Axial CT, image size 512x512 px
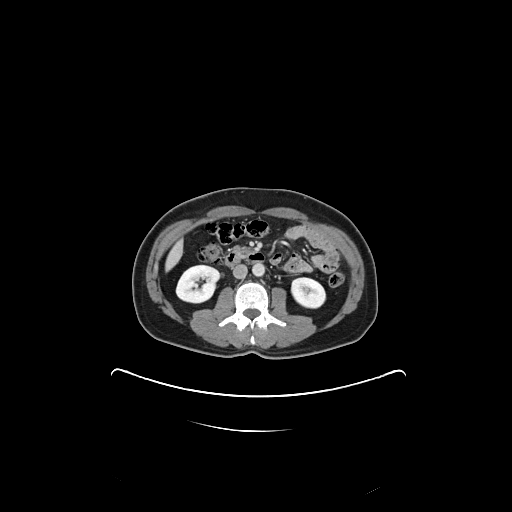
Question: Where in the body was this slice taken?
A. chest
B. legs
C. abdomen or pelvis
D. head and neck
Answer: C. abdomen or pelvis
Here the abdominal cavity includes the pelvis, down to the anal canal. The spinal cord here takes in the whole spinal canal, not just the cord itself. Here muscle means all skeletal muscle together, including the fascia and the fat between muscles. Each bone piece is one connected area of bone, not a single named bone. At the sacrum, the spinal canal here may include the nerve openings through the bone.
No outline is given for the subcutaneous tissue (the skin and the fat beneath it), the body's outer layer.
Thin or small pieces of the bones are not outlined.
The muscle is outlined by (225, 205) (238, 205) (239, 206) (244, 206) (258, 211) (259, 210) (263, 210) (264, 209) (267, 209) (272, 207) (289, 207) (290, 208) (296, 209) (306, 214) (310, 217) (312, 217) (319, 220) (322, 220) (335, 227) (339, 228) (345, 232) (353, 241) (357, 247) (363, 261) (364, 272) (365, 274) (364, 275) (364, 286) (363, 287) (363, 292) (362, 293) (360, 304) (349, 316) (343, 320) (324, 330) (319, 331) (297, 343) (295, 343) (286, 347) (281, 347) (280, 348) (278, 347) (276, 348) (266, 348) (265, 349) (260, 348) (257, 346) (253, 346) (252, 345) (251, 346) (247, 346) (243, 349) (230, 348) (229, 347) (222, 347) (221, 346) (214, 345) (205, 341) (199, 336) (196, 335) (189, 328) (166, 315) (156, 306) (150, 298) (147, 290) (147, 287) (146, 286) (146, 280) (145, 279) (146, 267) (147, 266) (147, 262) (149, 258) (149, 255) (150, 254) (152, 246) (155, 241) (155, 239) (164, 228) (176, 221) (178, 221) (182, 219) (191, 218) (200, 214) (202, 214) (205, 212) (207, 212) (213, 208) (215, 208) (219, 206) (224, 206); inner edges: (252, 214) (299, 221) (341, 252) (349, 284) (332, 317) (317, 323) (310, 315) (289, 313) (287, 292) (276, 285) (269, 290) (268, 311) (285, 326) (219, 326) (235, 311) (236, 288) (230, 285) (212, 308) (195, 309) (188, 317) (175, 309) (160, 282) (168, 248) (210, 220), then (252, 334) (253, 335) (254, 336) (254, 337) (254, 338) (254, 339) (254, 340) (255, 341) (255, 342) (255, 343) (254, 344) (253, 345) (252, 344) (251, 344) (250, 343) (250, 342) (250, 341) (250, 340) (250, 339) (250, 338) (250, 337) (251, 336) (251, 335). The torso is outlined by (240, 186) (283, 188) (304, 193) (338, 209) (356, 225) (372, 253) (378, 290) (376, 318) (359, 340) (324, 352) (287, 359) (266, 359) (254, 353) (235, 357) (218, 357) (159, 341) (143, 329) (133, 305) (131, 276) (137, 250) (147, 232) (166, 211) (185, 200) (214, 190). The abdominal cavity is outlined by (252, 214) (299, 221) (328, 237) (341, 252) (349, 267) (349, 284) (332, 317) (317, 323) (310, 315) (289, 313) (283, 287) (273, 286) (269, 293) (252, 280) (236, 288) (224, 286) (212, 308) (195, 309) (188, 317) (175, 309) (160, 282) (160, 262) (168, 248) (210, 220). The spinal cord is outlined by (247, 309) (256, 309) (257, 310) (258, 310) (259, 311) (259, 314) (258, 315) (257, 315) (255, 317) (254, 317) (253, 318) (249, 318) (247, 316) (246, 316) (244, 314) (244, 311) (245, 310) (246, 310). The bones are outlined by (249, 281) (257, 282) (266, 289) (269, 299) (269, 313) (285, 322) (285, 326) (269, 323) (266, 329) (256, 325) (251, 329) (248, 325) (241, 330) (237, 329) (237, 326) (233, 322) (228, 322) (219, 326) (219, 323) (222, 320) (235, 311) (234, 297) (236, 289) (243, 283) with a hole at (247, 309) (256, 309) (257, 310) (258, 310) (259, 311) (259, 314) (258, 315) (257, 315) (255, 317) (254, 317) (253, 318) (249, 318) (247, 316) (246, 316) (244, 314) (244, 311) (245, 310) (246, 310).